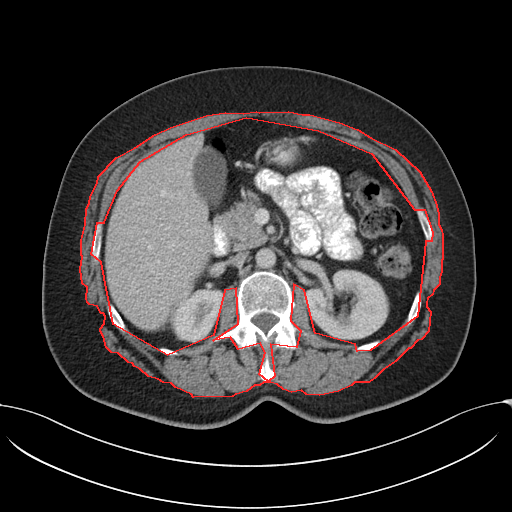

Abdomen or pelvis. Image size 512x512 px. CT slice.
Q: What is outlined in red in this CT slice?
A: red: muscle.
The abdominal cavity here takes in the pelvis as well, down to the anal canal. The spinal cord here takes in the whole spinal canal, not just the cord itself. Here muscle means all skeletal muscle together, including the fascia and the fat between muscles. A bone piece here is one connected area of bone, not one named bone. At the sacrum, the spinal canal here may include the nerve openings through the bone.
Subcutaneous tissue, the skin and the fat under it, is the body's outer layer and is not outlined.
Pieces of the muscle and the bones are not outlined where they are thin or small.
{"muscle":[{"outer":[[256,111],[259,112],[288,111],[302,114],[309,114],[339,122],[357,129],[370,137],[395,149],[419,171],[431,191],[436,205],[438,214],[438,224],[441,229],[442,235],[442,259],[441,260],[441,271],[439,277],[439,284],[433,290],[432,294],[427,298],[426,302],[426,306],[430,311],[428,331],[421,339],[417,340],[410,348],[408,348],[395,361],[383,369],[374,378],[368,382],[354,382],[351,385],[338,391],[319,395],[306,394],[301,390],[291,392],[283,389],[277,384],[270,382],[263,382],[259,385],[254,385],[246,391],[235,394],[232,396],[193,397],[191,394],[175,387],[171,383],[163,382],[158,379],[148,376],[140,369],[134,366],[132,363],[128,362],[118,353],[111,352],[106,347],[103,336],[100,331],[100,328],[104,323],[105,316],[103,313],[101,313],[97,306],[89,304],[87,302],[86,298],[87,287],[82,283],[80,269],[82,256],[81,255],[81,240],[85,224],[86,208],[89,203],[90,196],[97,183],[98,176],[116,157],[135,147],[155,134],[170,127],[206,115],[225,112],[243,113]],"hole":[[246,117],[318,130],[371,153],[414,209],[424,209],[432,232],[431,241],[425,241],[417,316],[370,350],[357,351],[355,344],[315,333],[304,290],[293,284],[290,320],[300,330],[296,347],[270,344],[274,376],[268,381],[259,374],[265,352],[260,343],[238,349],[230,337],[213,340],[238,323],[236,288],[224,290],[213,335],[167,355],[113,324],[101,262],[91,254],[97,222],[104,222],[117,190],[140,161],[186,134]]}],"torso":[[[248,65],[310,69],[368,88],[420,121],[445,153],[472,219],[476,291],[455,367],[424,393],[336,423],[308,421],[263,401],[227,425],[191,429],[97,402],[79,392],[56,365],[42,326],[43,256],[59,185],[76,146],[104,115],[152,86],[202,70]]],"abdominal_cavity":[[[246,117],[323,132],[371,153],[397,180],[415,210],[426,260],[406,318],[387,336],[359,345],[322,337],[310,326],[303,288],[270,270],[255,270],[237,288],[228,286],[217,331],[175,350],[137,337],[108,299],[100,261],[104,220],[130,171],[186,134]]],"spinal_cord":[[[261,313],[269,313],[270,314],[273,314],[275,316],[276,316],[278,318],[278,320],[266,332],[265,332],[263,330],[262,330],[258,326],[257,326],[254,323],[253,323],[252,322],[252,321],[251,320],[251,319],[255,315],[256,315],[257,314],[260,314]]],"bones":[{"outer":[[255,271],[273,272],[288,283],[295,303],[290,320],[300,330],[295,333],[294,349],[274,349],[273,343],[270,344],[267,352],[274,376],[268,381],[262,380],[259,374],[265,352],[260,343],[238,349],[230,337],[213,340],[237,325],[237,289],[241,280]],"hole":[[261,313],[269,313],[270,314],[273,314],[275,316],[276,316],[278,318],[278,320],[266,332],[265,332],[263,330],[262,330],[258,326],[257,326],[254,323],[253,323],[252,322],[252,321],[251,320],[251,319],[255,315],[256,315],[257,314],[260,314]]},[[99,220],[100,220],[103,223],[103,229],[102,230],[102,237],[101,238],[101,247],[100,248],[99,259],[97,262],[95,262],[92,258],[92,255],[91,254],[91,246],[92,245],[92,240],[93,239],[93,235],[94,234],[95,227],[96,226],[97,222]],[[419,207],[422,207],[424,209],[425,214],[428,218],[428,220],[429,221],[429,223],[431,227],[431,231],[432,232],[432,239],[431,241],[427,241],[426,240],[425,236],[424,235],[424,233],[422,230],[420,222],[418,219],[418,216],[416,213],[416,209]],[[417,291],[420,291],[420,292],[421,293],[421,307],[420,308],[420,310],[419,311],[417,316],[412,322],[412,323],[410,325],[407,325],[406,324],[406,319],[407,318],[408,313],[410,310],[411,305],[413,302],[414,297],[415,296]],[[109,303],[111,303],[113,305],[113,306],[115,308],[115,309],[121,317],[123,322],[125,324],[125,326],[127,329],[125,332],[122,332],[121,331],[120,331],[113,324],[113,323],[111,321],[111,320],[108,315],[108,313],[107,312],[107,305]],[[375,340],[380,340],[380,342],[379,343],[379,344],[374,348],[373,348],[370,350],[365,350],[364,351],[357,351],[356,350],[355,350],[355,349],[358,346],[359,346],[360,345],[362,345],[363,344],[365,344],[366,343],[368,343],[369,342],[372,342]]]}